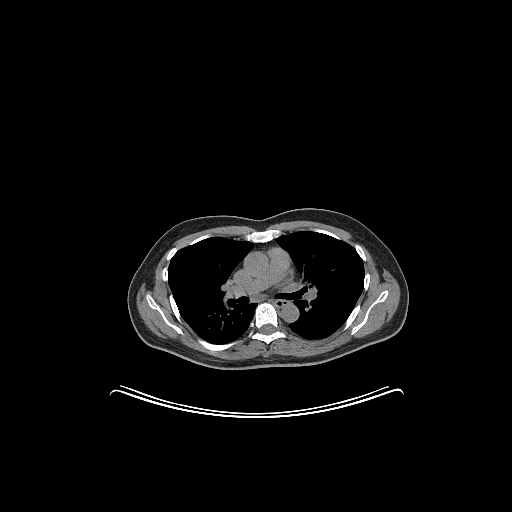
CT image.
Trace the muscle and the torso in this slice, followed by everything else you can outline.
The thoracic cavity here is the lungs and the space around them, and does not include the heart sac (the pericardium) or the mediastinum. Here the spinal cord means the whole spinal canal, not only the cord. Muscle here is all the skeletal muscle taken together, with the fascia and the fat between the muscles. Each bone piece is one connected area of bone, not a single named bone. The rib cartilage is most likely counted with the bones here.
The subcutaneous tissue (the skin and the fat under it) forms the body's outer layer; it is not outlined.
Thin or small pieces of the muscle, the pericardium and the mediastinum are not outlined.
The muscle appears in 2 outlined pieces: piece 1: 295,220 315,221 349,232 394,277 400,289 399,302 390,320 379,329 316,355 297,357 272,354 226,360 179,341 162,338 144,323 137,309 136,295 143,282 147,288 153,286 155,269 167,251 166,260 169,265 161,269 161,278 167,282 171,291 168,300 173,315 180,323 183,320 189,326 199,337 196,341 207,350 216,352 229,349 246,333 248,338 268,345 276,339 286,338 286,328 308,340 326,338 341,327 346,330 360,312 358,299 370,284 371,275 364,268 367,260 364,250 359,243 353,246 338,234 324,228 312,227 310,230 295,231 267,228 272,224 with holes at 384,290 387,290 388,292 387,296 384,301 382,302 378,302 375,304 370,310 368,314 368,317 367,318 366,322 354,334 351,334 350,333 351,332 352,328 358,324 363,319 368,307 378,297 379,294 and at 147,294 149,294 154,299 156,303 158,304 158,305 162,310 166,318 172,324 180,328 183,332 183,334 180,334 178,333 172,327 169,326 164,321 160,313 157,310 149,306 147,302 147,300 146,299 146,295; piece 2: 229,225 244,225 254,228 256,230 245,233 243,236 242,235 238,236 233,235 231,237 212,236 211,233 207,232 192,239 187,245 181,248 176,248 172,246 172,244 176,240 186,235 209,228 219,226 228,226. The torso is outlined by 296,208 322,208 349,215 368,227 390,249 404,274 409,292 407,315 401,329 395,335 319,364 242,370 223,370 198,365 153,348 138,336 128,312 128,287 150,248 168,229 181,221 200,216 231,215 260,220. The pericardium is outlined by 270,245 277,245 286,252 291,259 293,267 291,271 285,276 284,279 282,279 278,283 264,287 260,280 258,279 257,275 261,273 267,267 269,259 264,252 258,249 255,249 263,248 265,246 269,246. The bones appear in 13 outlined pieces: piece 1: 263,302 268,302 275,308 277,316 279,320 285,327 285,330 287,333 287,336 286,337 276,338 272,340 268,344 262,340 254,339 248,337 247,335 247,333 249,330 249,324 253,319 254,316 255,308 258,304 with a hole at 266,324 271,324 275,328 275,330 273,332 272,332 271,333 270,333 269,334 265,334 264,333 262,333 261,332 260,332 258,330 258,329 259,328 260,328 263,325 265,325; piece 2: 266,229 278,229 280,231 280,233 281,234 276,238 274,238 269,241 266,241 265,242 253,242 252,241 249,241 248,240 245,240 244,239 244,235 245,234 247,234 248,233 251,233 254,231 262,231; piece 3: 384,290 387,290 388,292 387,296 384,301 382,302 378,302 375,304 370,310 368,314 368,317 367,318 366,322 354,334 351,334 350,333 351,332 352,328 358,324 363,319 368,307 378,297 379,294; piece 4: 147,294 149,294 154,299 156,303 158,304 158,305 162,310 166,318 172,324 180,328 183,332 183,334 180,334 178,333 172,327 169,326 164,321 160,313 157,310 149,306 147,302 147,300 146,299 146,295; piece 5: 198,338 200,338 209,343 212,343 213,344 226,344 227,343 229,343 236,340 237,340 238,342 229,348 227,348 223,350 217,350 216,351 214,351 213,350 207,349 202,345 201,345 197,341 197,339; piece 6: 357,303 358,303 360,305 360,309 359,310 359,312 357,314 356,317 351,323 351,324 346,329 343,329 342,328 342,327 343,326 345,321 347,319 348,316 350,314 350,313 352,311 352,310 355,307 355,306; piece 7: 170,294 172,294 173,296 173,298 175,301 175,303 177,306 177,308 179,311 179,313 180,314 180,316 182,320 181,322 180,322 176,318 172,310 172,308 171,307 171,304 169,300 169,295; piece 8: 312,228 319,228 320,229 324,229 325,230 330,231 338,235 340,237 341,237 343,239 343,240 342,239 337,239 330,235 328,235 327,234 325,234 321,232 316,232 315,231 313,231 311,230; piece 9: 357,243 358,244 359,244 361,246 361,247 363,250 363,252 364,253 364,254 366,257 366,260 365,261 363,261 363,260 360,257 360,256 358,254 358,253 356,251 356,250 354,247 356,245 356,244; piece 10: 365,272 368,272 369,273 369,274 370,275 370,279 369,280 369,284 368,285 368,287 367,288 367,289 366,290 363,290 363,282 364,281 364,276 365,275; piece 11: 207,233 209,233 210,234 211,234 211,237 209,237 208,238 205,238 204,239 202,239 193,244 191,244 190,245 188,245 189,244 189,243 190,243 192,241 192,240 193,240 194,239 195,239 204,234 206,234; piece 12: 172,247 173,248 175,248 176,249 179,249 173,255 173,256 170,259 170,260 169,261 168,260 167,260 167,254 168,253 168,251; piece 13: 164,267 167,267 167,281 166,282 165,281 164,281 163,280 163,279 162,278 162,269. The mediastinum is outlined by 274,239 277,244 254,249 264,253 268,259 266,267 256,275 263,287 284,280 294,264 303,273 302,284 292,297 299,315 286,326 270,302 250,302 247,296 239,294 230,280 231,272 252,249 254,243 265,243. The spinal cord is outlined by 266,324 271,324 275,328 275,330 273,332 272,332 271,333 270,333 269,334 265,334 264,333 262,333 261,332 260,332 258,330 258,329 259,328 260,328 263,325 265,325. The thoracic cavity appears in 2 outlined pieces: piece 1: 212,237 231,238 235,241 244,240 253,243 251,249 230,272 229,280 241,297 247,297 250,303 256,305 248,324 248,330 237,339 226,343 209,342 201,338 190,327 182,318 168,283 168,267 174,255 186,246; piece 2: 296,231 312,231 342,240 354,248 363,262 364,275 362,291 354,307 343,324 323,338 304,338 286,327 299,318 300,312 293,297 294,293 303,284 304,273 297,269 290,254 277,243 276,239 281,235 292,234.